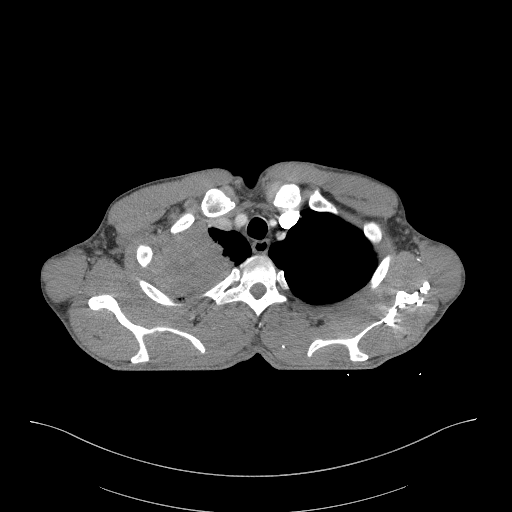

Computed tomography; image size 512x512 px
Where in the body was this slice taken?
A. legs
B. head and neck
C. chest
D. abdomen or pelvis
C. chest
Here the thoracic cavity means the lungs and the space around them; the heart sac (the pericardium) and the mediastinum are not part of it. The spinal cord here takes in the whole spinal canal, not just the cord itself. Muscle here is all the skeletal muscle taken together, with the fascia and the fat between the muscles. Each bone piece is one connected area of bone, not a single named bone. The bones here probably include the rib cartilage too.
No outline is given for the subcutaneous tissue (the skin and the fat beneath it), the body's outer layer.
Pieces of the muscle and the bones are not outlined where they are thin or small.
mediastinum: 303 205; 306 208; 302 211; 299 219; 287 231; 283 239; 275 241; 269 246; 267 254; 252 254; 248 241; 241 233; 236 230; 227 231; 216 227; 211 227; 202 219; 205 217; 215 218; 223 215; 231 215; 253 207; 269 210; 295 210
spinal cord: 257 283; 260 283; 261 284; 262 284; 265 287; 265 291; 264 292; 264 293; 260 297; 259 297; 258 298; 256 298; 251 293; 251 292; 250 291; 250 289; 251 288; 251 287; 253 285; 254 285; 255 284; 256 284
bones 1: 256 254; 267 255; 275 266; 283 271; 284 277; 290 288; 290 291; 286 293; 288 297; 286 302; 273 303; 266 307; 259 316; 256 316; 254 311; 242 301; 233 301; 217 305; 213 299; 199 296; 221 281; 234 267; 238 266; 251 255, around a hole outlined by 257 283; 260 283; 261 284; 262 284; 265 287; 265 291; 264 292; 264 293; 260 297; 259 297; 258 298; 256 298; 251 293; 251 292; 250 291; 250 289; 251 288; 251 287; 253 285; 254 285; 255 284; 256 284
bones 2: 424 280; 428 281; 429 289; 420 294; 423 297; 420 305; 398 308; 393 325; 382 322; 359 340; 358 346; 368 354; 367 359; 350 360; 348 350; 342 344; 323 346; 307 356; 308 347; 315 339; 356 335; 386 315; 398 290; 417 291
bones 3: 99 294; 110 294; 126 317; 135 324; 147 328; 168 326; 195 336; 204 345; 205 352; 201 353; 184 337; 167 331; 155 332; 146 334; 143 338; 149 360; 132 363; 130 358; 139 347; 134 335; 110 310; 93 310; 88 305; 88 299
bones 4: 210 188; 219 188; 221 189; 233 201; 235 202; 235 207; 232 210; 229 211; 227 213; 225 214; 223 214; 222 215; 219 215; 215 217; 207 217; 203 215; 199 208; 199 205; 200 204; 200 202; 204 194; 206 192; 206 191
bones 5: 285 182; 292 182; 293 183; 295 183; 297 185; 298 185; 300 188; 300 193; 302 196; 302 201; 300 205; 295 209; 284 209; 283 208; 277 208; 272 202; 273 201; 273 198; 274 197; 274 194; 275 193; 276 187; 280 184; 284 183
bones 6: 137 278; 140 278; 141 279; 145 280; 147 282; 152 284; 163 292; 173 297; 176 300; 182 301; 183 304; 181 306; 168 306; 167 305; 163 305; 160 303; 156 302; 154 300; 150 298; 141 289; 141 288; 138 284
bones 7: 315 188; 318 188; 320 192; 328 200; 332 202; 336 206; 338 210; 338 214; 337 215; 335 214; 333 214; 330 212; 320 212; 319 211; 316 211; 315 210; 313 210; 311 209; 308 206; 308 191; 310 191
bones 8: 387 254; 390 254; 391 255; 391 259; 390 260; 390 263; 389 264; 389 266; 388 267; 387 272; 385 276; 383 278; 383 279; 379 283; 379 284; 375 288; 373 289; 371 289; 368 286; 363 287; 366 285; 366 284; 371 278; 379 262
bones 9: 188 210; 189 210; 190 211; 192 211; 194 214; 195 219; 194 220; 193 223; 187 229; 186 229; 181 232; 179 232; 176 234; 172 234; 169 230; 170 229; 170 227; 172 225; 172 224; 179 217; 179 216; 182 213; 183 213
bones 10: 369 221; 374 221; 377 224; 378 224; 380 228; 380 230; 381 231; 381 238; 380 240; 376 244; 375 247; 373 247; 372 244; 365 236; 362 230; 362 228; 363 227; 363 225; 364 223; 366 222; 368 222
bones 11: 140 243; 144 243; 145 244; 147 244; 149 246; 150 246; 150 247; 153 252; 152 259; 151 260; 150 263; 148 265; 148 266; 145 268; 142 267; 140 265; 140 264; 138 262; 138 261; 136 258; 136 247; 138 245; 138 244; 139 244
thoracic cavity 1: 307 208; 316 212; 330 213; 338 216; 360 229; 375 252; 378 263; 368 281; 360 289; 339 301; 314 304; 296 296; 291 291; 284 271; 278 268; 268 255; 270 246; 273 243; 281 241; 286 237; 288 231; 297 223; 302 216; 303 211
thoracic cavity 2: 198 219; 203 220; 211 228; 227 232; 238 232; 247 241; 251 254; 238 265; 234 266; 221 280; 199 295; 192 298; 177 298; 152 283; 149 273; 149 265; 153 259; 154 252; 158 249; 161 240; 165 236; 170 233; 176 235; 187 230
muscle: 285 164; 355 174; 385 186; 398 203; 395 215; 387 223; 397 247; 403 250; 426 241; 447 249; 456 259; 461 271; 459 288; 439 306; 420 335; 404 348; 368 359; 369 354; 359 342; 382 323; 393 326; 398 309; 420 306; 424 300; 421 294; 430 289; 427 279; 417 290; 398 289; 385 315; 356 334; 317 337; 311 341; 306 350; 308 358; 323 347; 342 345; 350 361; 362 362; 330 366; 286 365; 256 341; 221 364; 192 367; 123 364; 89 349; 74 331; 66 308; 47 294; 44 271; 50 261; 75 249; 92 256; 116 246; 114 228; 107 224; 107 219; 112 206; 123 197; 144 187; 212 171; 236 178; 250 190; 269 170 with holes at 285 182; 299 186; 301 206; 309 207; 308 191; 318 188; 340 218; 361 230; 366 222; 378 224; 377 261; 387 254; 391 259; 375 288; 323 304; 288 291; 286 302; 259 316; 242 301; 217 305; 198 295; 175 297; 183 304; 168 306; 141 289; 137 278; 152 282; 136 247; 144 243; 155 252; 188 210; 204 218; 199 205; 207 190; 219 188; 235 202; 225 214; 231 215; 276 209; 275 190 and at 99 294; 110 294; 117 301; 126 317; 135 324; 141 325; 147 328; 154 326; 168 326; 179 329; 195 336; 204 345; 205 352; 201 353; 194 347; 188 339; 184 337; 167 331; 155 332; 153 334; 146 334; 143 338; 149 354; 149 360; 146 362; 132 363; 130 361; 130 358; 137 351; 139 347; 134 335; 118 321; 115 315; 110 310; 105 308; 93 310; 88 305; 87 302; 88 299; 91 296
torso: 283 160; 345 168; 385 182; 419 232; 458 254; 464 287; 415 347; 374 369; 349 371; 276 370; 258 353; 224 370; 116 371; 78 347; 41 293; 40 270; 47 258; 90 236; 110 202; 137 185; 222 167; 252 186; 264 168